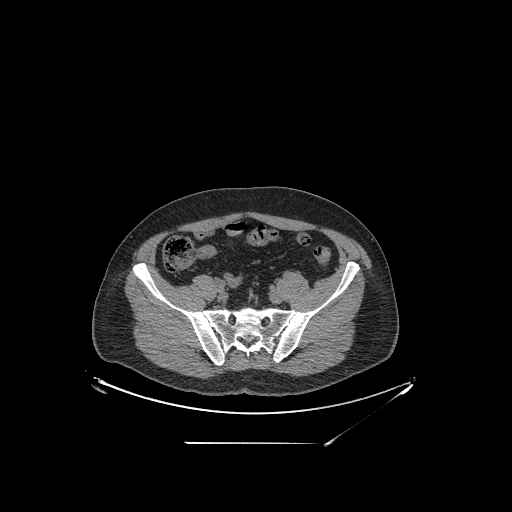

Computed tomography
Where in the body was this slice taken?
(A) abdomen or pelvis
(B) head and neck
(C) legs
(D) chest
Answer: (A) abdomen or pelvis
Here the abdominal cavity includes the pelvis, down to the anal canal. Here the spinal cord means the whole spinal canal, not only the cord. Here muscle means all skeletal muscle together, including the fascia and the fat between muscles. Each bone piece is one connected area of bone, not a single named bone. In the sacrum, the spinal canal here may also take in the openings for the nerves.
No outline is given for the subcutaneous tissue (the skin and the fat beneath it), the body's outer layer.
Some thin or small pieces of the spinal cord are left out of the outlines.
Outlines (x, y in pixels):
muscle: (241, 211) (254, 211) (255, 212) (259, 212) (265, 214) (270, 214) (271, 215) (286, 217) (291, 219) (297, 219) (298, 220) (313, 223) (317, 225) (324, 226) (336, 230) (354, 239) (357, 241) (367, 252) (372, 262) (372, 269) (371, 270) (371, 274) (369, 275) (366, 274) (365, 275) (366, 282) (364, 288) (363, 299) (360, 308) (357, 313) (357, 315) (353, 319) (356, 324) (355, 326) (354, 341) (347, 352) (345, 359) (338, 364) (332, 366) (323, 371) (313, 373) (305, 376) (301, 376) (300, 377) (294, 377) (287, 374) (279, 374) (269, 370) (247, 369) (241, 371) (232, 371) (229, 370) (214, 377) (207, 379) (203, 379) (198, 377) (184, 375) (166, 369) (163, 367) (160, 367) (152, 363) (148, 359) (143, 356) (141, 352) (135, 346) (134, 344) (134, 338) (132, 335) (132, 325) (134, 319) (132, 316) (132, 310) (130, 307) (129, 302) (125, 296) (123, 289) (125, 282) (125, 277) (127, 273) (127, 269) (131, 261) (131, 256) (133, 252) (148, 238) (162, 231) (173, 228) (178, 225) (181, 225) (185, 223) (189, 223) (193, 221) (197, 221) (210, 217) (221, 216) (233, 212) (240, 212), around a hole outlined by (242, 217) (334, 243) (338, 265) (311, 287) (294, 268) (276, 277) (291, 309) (324, 302) (348, 261) (360, 268) (288, 356) (232, 346) (219, 366) (187, 316) (154, 296) (132, 268) (145, 263) (155, 285) (171, 303) (190, 311) (204, 310) (217, 279) (170, 283) (155, 265) (158, 244)
abdominal cavity: (242, 217) (285, 230) (318, 231) (334, 243) (339, 263) (333, 273) (317, 279) (311, 287) (299, 270) (279, 274) (274, 290) (290, 308) (206, 308) (206, 301) (211, 302) (217, 293) (217, 279) (202, 273) (189, 284) (170, 283) (155, 265) (158, 244) (175, 232) (211, 230)
bones: (348, 261) (358, 263) (359, 270) (340, 294) (309, 319) (288, 356) (276, 362) (264, 348) (247, 356) (232, 346) (219, 366) (202, 349) (187, 316) (154, 296) (132, 270) (135, 264) (145, 263) (160, 292) (174, 305) (190, 311) (250, 306) (305, 312) (318, 307) (333, 293), around a hole outlined by (239, 337) (240, 337) (243, 340) (246, 340) (247, 341) (252, 341) (255, 338) (256, 338) (257, 339) (257, 340) (253, 344) (251, 344) (248, 347) (247, 347) (242, 342) (241, 342) (238, 339) (238, 338)
torso: (267, 185) (297, 188) (327, 198) (355, 215) (374, 235) (390, 269) (399, 315) (399, 333) (390, 357) (328, 387) (280, 397) (246, 393) (208, 396) (185, 392) (150, 380) (117, 363) (101, 359) (91, 338) (93, 305) (108, 262) (123, 238) (150, 212) (181, 196) (211, 188)
spinal cord: (239, 337) (240, 337) (243, 340) (246, 340) (247, 341) (252, 341) (255, 338) (256, 338) (257, 339) (257, 340) (253, 344) (251, 344) (248, 347) (247, 347) (242, 342) (241, 342) (238, 339) (238, 338)